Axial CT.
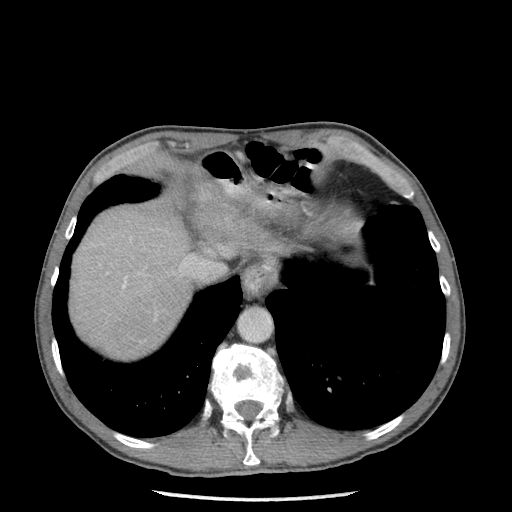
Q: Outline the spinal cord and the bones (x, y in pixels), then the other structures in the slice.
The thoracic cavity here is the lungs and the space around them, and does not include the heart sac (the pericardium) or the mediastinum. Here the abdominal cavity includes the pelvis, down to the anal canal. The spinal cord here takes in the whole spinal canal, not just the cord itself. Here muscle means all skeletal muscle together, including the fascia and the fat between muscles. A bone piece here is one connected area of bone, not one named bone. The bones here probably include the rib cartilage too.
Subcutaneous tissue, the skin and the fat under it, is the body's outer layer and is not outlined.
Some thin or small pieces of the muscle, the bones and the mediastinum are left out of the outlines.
A: {"spinal_cord":[[[245,400],[252,400],[253,401],[257,401],[258,402],[260,402],[262,405],[261,407],[261,409],[254,417],[254,418],[250,421],[246,421],[244,417],[242,416],[236,410],[235,408],[235,405],[237,403],[241,401],[244,401]]],"bones":[{"outer":[[234,343],[258,347],[273,357],[294,399],[293,411],[283,402],[278,408],[276,436],[270,436],[268,427],[253,432],[257,465],[243,463],[243,435],[231,429],[223,435],[222,411],[213,399],[211,415],[201,422],[204,401],[210,395],[213,356]],"hole":[[245,400],[252,400],[253,401],[257,401],[258,402],[260,402],[262,405],[261,407],[261,409],[254,417],[254,418],[250,421],[246,421],[244,417],[242,416],[236,410],[235,408],[235,405],[237,403],[241,401],[244,401]]},[[330,136],[341,137],[343,138],[345,141],[355,141],[377,156],[384,163],[402,176],[407,181],[414,192],[414,195],[412,200],[408,200],[402,197],[397,192],[392,189],[376,173],[345,152],[341,146],[338,146],[334,144],[331,141],[329,141],[328,138]],[[153,141],[158,141],[159,142],[159,146],[157,148],[157,151],[155,153],[144,157],[133,164],[111,175],[99,185],[96,187],[94,187],[93,177],[95,173],[105,165],[108,161],[115,156],[121,153],[123,153],[131,148],[133,148],[141,144],[144,144]],[[402,413],[404,413],[404,417],[403,419],[400,422],[400,423],[393,429],[386,432],[384,434],[374,439],[371,439],[370,440],[366,440],[365,439],[363,434],[366,431],[371,430],[384,423],[386,423],[390,420],[395,418],[397,416],[398,416]],[[113,430],[128,436],[131,436],[136,438],[140,438],[149,442],[153,442],[154,443],[156,443],[156,445],[151,448],[136,448],[135,447],[131,447],[130,446],[128,446],[120,442],[113,436],[112,434],[112,431]],[[53,336],[55,337],[56,341],[57,342],[57,345],[59,349],[59,354],[60,355],[61,364],[62,365],[62,368],[65,374],[65,377],[61,376],[61,375],[59,373],[55,365],[55,363],[54,362],[54,360],[52,356],[52,352],[51,351],[51,339]],[[446,331],[448,331],[449,332],[450,336],[451,337],[451,340],[450,341],[450,348],[449,349],[449,352],[448,353],[446,360],[443,364],[439,365],[439,361],[440,360],[440,357],[441,356],[442,344],[443,343],[443,338],[444,337],[444,334]]],"abdominal_cavity":[[[248,136],[327,146],[348,156],[334,160],[318,194],[357,217],[376,284],[368,285],[362,269],[323,258],[256,257],[198,292],[153,355],[131,364],[101,359],[75,336],[68,318],[72,254],[98,212],[147,200],[159,189],[141,175],[118,173],[159,152]]],"torso":[[[319,120],[359,127],[391,150],[417,176],[448,235],[464,296],[466,333],[457,374],[443,401],[421,427],[398,444],[324,471],[188,478],[126,462],[99,446],[54,400],[40,367],[33,321],[44,254],[66,197],[82,169],[110,143],[152,125],[250,128]]],"muscle":[{"outer":[[318,128],[335,128],[352,132],[364,139],[372,145],[381,154],[401,168],[415,182],[428,205],[429,209],[444,238],[444,241],[446,244],[451,260],[455,284],[457,288],[458,298],[459,299],[460,336],[459,337],[459,343],[457,348],[455,362],[443,388],[431,405],[412,424],[402,430],[398,434],[379,444],[366,448],[354,454],[317,464],[287,465],[283,463],[279,463],[276,465],[264,465],[249,468],[236,468],[235,469],[227,468],[226,469],[217,469],[208,471],[194,471],[193,470],[176,468],[164,464],[154,463],[146,460],[142,460],[132,456],[129,456],[111,446],[88,428],[64,404],[48,373],[46,363],[44,360],[44,355],[42,350],[42,344],[40,338],[40,327],[38,318],[39,317],[39,300],[42,286],[44,282],[50,251],[64,218],[66,210],[68,207],[68,204],[81,180],[86,173],[102,157],[123,144],[140,136],[152,132],[171,130],[181,132],[213,132],[214,133],[228,133],[229,134],[249,134],[250,133],[273,132],[274,131],[292,130],[293,129],[310,130]],"hole":[[248,136],[327,146],[356,162],[328,140],[341,137],[407,181],[414,195],[405,200],[438,240],[438,273],[450,286],[447,358],[400,423],[374,439],[363,435],[371,428],[328,427],[283,402],[278,434],[256,429],[260,462],[246,465],[246,439],[231,429],[223,435],[213,399],[204,423],[200,413],[171,433],[143,437],[156,443],[151,448],[128,446],[82,403],[52,356],[51,276],[66,228],[115,156],[153,141],[157,154]]}],"mediastinum":[[[270,256],[289,259],[285,262],[282,271],[282,279],[286,287],[273,290],[265,297],[265,305],[274,322],[275,346],[278,361],[264,349],[241,342],[234,342],[215,352],[233,325],[240,311],[242,290],[240,285],[240,277],[235,275],[250,260]],[[341,156],[349,157],[368,168],[376,174],[392,190],[405,199],[408,204],[406,203],[381,204],[378,207],[377,212],[367,220],[364,229],[358,217],[351,208],[343,203],[326,201],[321,198],[319,194],[320,188],[324,183],[328,172],[332,168],[335,160]]],"thoracic_cavity":[[[384,204],[410,205],[421,214],[445,299],[440,356],[429,383],[403,412],[373,428],[332,428],[312,420],[296,404],[278,362],[275,322],[266,297],[287,287],[283,279],[286,262],[298,258],[323,259],[362,270],[367,273],[367,285],[376,285],[364,230]],[[117,174],[141,176],[158,189],[147,199],[98,211],[71,254],[66,313],[86,349],[114,364],[141,362],[168,343],[198,293],[234,276],[241,290],[239,311],[211,359],[201,412],[153,437],[115,430],[82,403],[67,379],[52,322],[60,263],[80,208]]]}